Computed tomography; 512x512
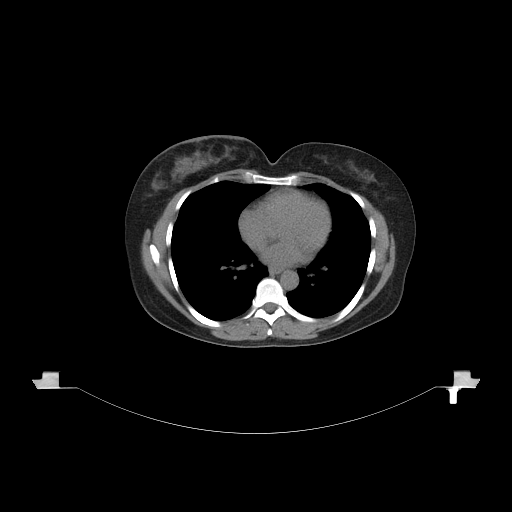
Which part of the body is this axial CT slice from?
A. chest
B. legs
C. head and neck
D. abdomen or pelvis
A. chest
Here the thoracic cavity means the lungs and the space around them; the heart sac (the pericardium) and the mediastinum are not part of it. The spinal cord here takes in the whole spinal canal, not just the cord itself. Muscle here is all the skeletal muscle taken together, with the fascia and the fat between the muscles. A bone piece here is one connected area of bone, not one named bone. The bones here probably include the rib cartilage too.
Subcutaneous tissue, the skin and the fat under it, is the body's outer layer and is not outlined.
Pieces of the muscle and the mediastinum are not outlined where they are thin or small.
The thoracic cavity appears in 2 outlined pieces: piece 1: (222, 180) (268, 185) (268, 189) (250, 201) (241, 210) (237, 218) (237, 229) (241, 240) (266, 267) (267, 275) (257, 283) (251, 304) (244, 314) (220, 321) (205, 316) (186, 299) (180, 289) (174, 268) (171, 256) (171, 242) (178, 211) (188, 196) (205, 186); piece 2: (317, 182) (353, 198) (367, 219) (370, 233) (370, 250) (362, 282) (351, 299) (340, 310) (324, 317) (313, 317) (298, 311) (289, 303) (286, 296) (300, 283) (298, 270) (305, 269) (317, 257) (326, 246) (332, 232) (333, 221) (328, 203) (313, 189) (304, 188) (305, 185). The bones appear in 12 outlined pieces: piece 1: (265, 277) (273, 278) (280, 284) (288, 303) (294, 309) (317, 320) (315, 322) (302, 321) (287, 313) (279, 316) (272, 323) (270, 326) (271, 334) (268, 335) (267, 330) (270, 325) (263, 318) (251, 316) (243, 319) (243, 315) (249, 310) (252, 304) (258, 283), around a hole outlined by (268, 302) (271, 302) (272, 303) (273, 303) (274, 304) (275, 304) (276, 305) (276, 308) (272, 312) (267, 312) (263, 308) (263, 306) (266, 303) (267, 303); piece 2: (248, 170) (252, 173) (261, 174) (266, 176) (273, 176) (274, 177) (277, 177) (278, 176) (285, 176) (291, 174) (296, 174) (298, 175) (301, 179) (300, 182) (296, 185) (278, 185) (277, 184) (266, 184) (265, 183) (245, 182) (242, 178) (242, 174); piece 3: (363, 282) (365, 284) (365, 286) (364, 287) (363, 292) (359, 300) (357, 302) (357, 303) (352, 308) (352, 309) (342, 318) (334, 322) (331, 321) (332, 319) (336, 315) (336, 314) (339, 311) (340, 311) (352, 299) (352, 298) (355, 295) (355, 294) (359, 289) (361, 284); piece 4: (188, 303) (190, 304) (199, 313) (200, 313) (205, 317) (209, 318) (212, 320) (215, 320) (216, 321) (219, 321) (221, 322) (222, 324) (221, 326) (219, 327) (213, 327) (212, 326) (206, 325) (200, 322) (195, 317) (194, 317) (188, 310) (187, 308) (187, 304); piece 5: (169, 257) (171, 257) (172, 259) (173, 268) (175, 272) (175, 275) (176, 276) (177, 282) (178, 283) (178, 286) (179, 287) (179, 292) (177, 292) (176, 291) (174, 287) (174, 285) (172, 282) (172, 279) (170, 275) (170, 272) (169, 271) (169, 267) (168, 266) (168, 258); piece 6: (371, 248) (374, 248) (375, 249) (375, 260) (374, 261) (374, 264) (373, 265) (373, 267) (372, 268) (372, 270) (371, 271) (370, 274) (367, 275) (366, 274) (366, 270) (367, 269) (367, 265) (368, 264) (368, 260) (369, 259) (369, 255) (370, 254) (370, 251) (371, 250); piece 7: (150, 244) (153, 244) (156, 247) (156, 248) (157, 249) (157, 250) (158, 251) (158, 252) (159, 253) (159, 265) (158, 266) (157, 266) (154, 263) (154, 262) (153, 261) (153, 260) (152, 259) (152, 258) (151, 257) (151, 254) (150, 253) (150, 251) (149, 250) (149, 245); piece 8: (169, 222) (172, 222) (173, 223) (173, 227) (172, 228) (172, 231) (171, 232) (171, 241) (170, 242) (170, 246) (167, 246) (166, 245) (166, 232) (167, 231) (167, 227) (168, 226) (168, 224) (169, 223); piece 9: (189, 189) (191, 189) (192, 192) (189, 195) (188, 195) (187, 196) (187, 197) (183, 201) (183, 202) (181, 204) (179, 209) (177, 211) (176, 210) (175, 210) (175, 206) (176, 205) (178, 200) (180, 198) (180, 197) (186, 191) (187, 191); piece 10: (350, 191) (353, 191) (354, 192) (357, 193) (360, 196) (361, 199) (363, 201) (363, 202) (364, 203) (364, 208) (363, 209) (362, 209) (362, 208) (360, 206) (360, 205) (356, 201) (356, 200) (353, 197) (352, 197) (349, 194) (349, 192); piece 11: (370, 217) (372, 217) (372, 218) (373, 219) (373, 220) (374, 221) (374, 223) (375, 224) (375, 237) (374, 238) (373, 238) (372, 237) (371, 237) (371, 233) (370, 232) (370, 227) (369, 226) (369, 222) (368, 221) (368, 219); piece 12: (215, 176) (218, 176) (219, 177) (233, 177) (232, 178) (228, 178) (227, 179) (222, 179) (221, 180) (220, 180) (219, 181) (218, 181) (217, 182) (214, 182) (213, 183) (211, 183) (210, 184) (208, 184) (207, 185) (207, 184) (209, 182) (209, 181) (210, 181). The muscle appears in 2 outlined pieces: piece 1: (238, 168) (255, 169) (259, 173) (248, 169) (241, 174) (243, 181) (228, 179) (232, 179) (233, 176) (215, 175) (203, 187) (195, 191) (189, 188) (179, 197) (174, 206) (174, 210) (177, 212) (175, 221) (169, 221) (166, 227) (165, 245) (170, 247) (167, 266) (171, 282) (175, 291) (179, 293) (180, 290) (183, 294) (188, 302) (186, 308) (194, 318) (213, 328) (221, 327) (222, 321) (239, 316) (242, 316) (243, 320) (251, 317) (261, 318) (269, 325) (266, 330) (268, 336) (272, 334) (273, 323) (279, 317) (287, 314) (307, 323) (315, 323) (317, 318) (335, 314) (331, 322) (334, 323) (342, 319) (360, 300) (366, 286) (363, 281) (364, 277) (371, 274) (376, 260) (376, 249) (371, 247) (371, 238) (376, 237) (376, 224) (372, 216) (368, 218) (365, 216) (363, 211) (365, 203) (360, 195) (365, 197) (383, 215) (388, 232) (393, 234) (395, 242) (394, 268) (377, 295) (347, 320) (308, 339) (284, 339) (271, 336) (259, 340) (223, 339) (213, 335) (208, 329) (195, 324) (175, 308) (156, 288) (142, 264) (140, 251) (143, 234) (147, 228) (151, 230) (153, 228) (177, 192) (217, 173); inner edge: (150, 244) (153, 244) (156, 247) (156, 248) (157, 249) (157, 250) (158, 251) (158, 252) (159, 253) (159, 265) (158, 266) (157, 266) (154, 263) (154, 262) (153, 261) (153, 260) (152, 259) (152, 258) (151, 257) (151, 254) (150, 253) (150, 251) (149, 250) (149, 245); piece 2: (299, 171) (305, 171) (306, 172) (310, 172) (314, 174) (325, 176) (331, 179) (336, 183) (352, 190) (350, 190) (348, 192) (348, 194) (323, 182) (311, 181) (310, 182) (303, 182) (302, 183) (300, 183) (302, 179) (298, 174) (296, 173) (288, 174) (298, 172). The pericardium is outlined by (282, 186) (294, 186) (299, 189) (306, 190) (317, 194) (325, 200) (329, 207) (331, 214) (332, 221) (331, 232) (325, 246) (310, 263) (296, 268) (271, 268) (267, 266) (266, 264) (262, 263) (252, 250) (242, 240) (238, 229) (238, 218) (242, 210) (246, 206) (272, 188). The spinal cord is outlined by (268, 302) (271, 302) (272, 303) (273, 303) (274, 304) (275, 304) (276, 305) (276, 308) (272, 312) (267, 312) (263, 308) (263, 306) (266, 303) (267, 303). The torso is outlined by (208, 134) (244, 136) (257, 144) (271, 162) (292, 146) (322, 141) (356, 147) (393, 169) (408, 190) (416, 221) (413, 255) (395, 311) (339, 339) (294, 347) (217, 345) (178, 333) (150, 317) (136, 298) (128, 273) (124, 247) (128, 199) (140, 172) (156, 154) (176, 142). The mediastinum appears in 2 outlined pieces: piece 1: (305, 266) (307, 266) (305, 268) (299, 268) (297, 270) (297, 273) (299, 276) (299, 283) (297, 287) (290, 291) (288, 291) (285, 294) (281, 284) (275, 278) (267, 276) (268, 275) (268, 269) (267, 267) (271, 269) (296, 269) (297, 268) (300, 268); piece 2: (303, 183) (309, 183) (308, 183) (307, 184) (305, 184) (303, 186) (303, 188) (304, 189) (308, 189) (313, 190) (315, 192) (314, 192) (313, 191) (310, 191) (309, 190) (307, 190) (306, 189) (302, 189) (301, 188) (299, 188) (297, 186) (295, 186) (296, 186) (299, 184) (302, 184).